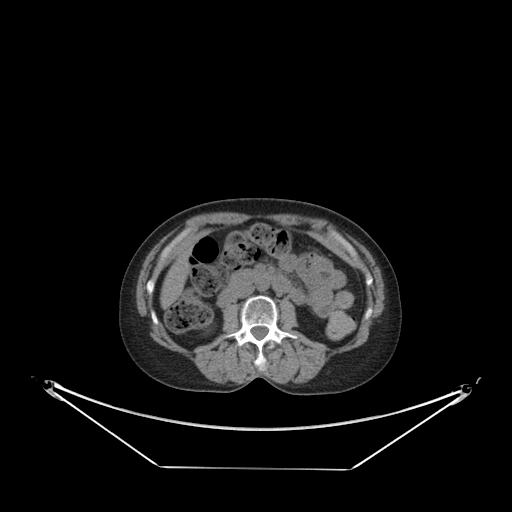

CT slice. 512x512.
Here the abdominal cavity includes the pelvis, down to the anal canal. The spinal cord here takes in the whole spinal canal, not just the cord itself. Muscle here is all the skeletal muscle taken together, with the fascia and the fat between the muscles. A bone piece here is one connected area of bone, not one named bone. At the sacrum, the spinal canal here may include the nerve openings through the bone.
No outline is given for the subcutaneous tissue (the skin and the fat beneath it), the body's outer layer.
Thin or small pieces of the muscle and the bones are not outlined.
Outlined structures:
abdominal cavity: [[251,219],[305,231],[361,272],[366,307],[349,340],[331,347],[310,339],[296,328],[294,304],[283,297],[277,305],[265,294],[247,297],[240,308],[237,303],[224,307],[222,332],[207,343],[190,349],[169,335],[154,309],[154,290],[163,269],[208,232]]
torso: [[240,196],[285,197],[329,207],[360,225],[382,248],[398,280],[402,326],[392,358],[371,380],[348,391],[321,395],[288,394],[261,378],[233,392],[194,392],[157,382],[132,361],[120,337],[117,315],[119,288],[132,255],[156,226],[178,211],[204,201]]
muscle: [[220,211],[239,212],[240,213],[245,213],[246,214],[276,214],[277,213],[291,213],[292,214],[299,214],[300,215],[304,215],[310,217],[324,218],[334,224],[340,231],[343,231],[349,234],[362,244],[370,252],[374,258],[376,264],[380,269],[383,283],[384,284],[384,295],[385,296],[384,299],[384,309],[382,313],[375,319],[372,326],[370,328],[370,331],[367,340],[363,344],[360,345],[358,347],[334,355],[323,366],[321,370],[316,375],[316,376],[312,379],[303,383],[294,383],[291,381],[289,381],[285,384],[278,383],[261,373],[257,373],[254,375],[252,375],[242,383],[239,383],[238,384],[237,383],[234,383],[231,381],[228,381],[226,383],[217,383],[207,379],[199,371],[194,363],[181,353],[170,350],[156,342],[149,334],[150,329],[146,318],[143,316],[141,316],[138,313],[137,307],[136,306],[136,285],[137,284],[138,276],[142,267],[142,264],[147,254],[160,240],[160,239],[174,228],[183,223],[187,219],[192,216],[198,214],[201,214],[202,213],[207,213],[208,212],[219,212]]; inner edges: [[251,219],[305,231],[365,278],[370,273],[373,282],[365,292],[372,312],[367,319],[362,316],[349,340],[331,347],[310,339],[296,328],[296,308],[283,297],[277,301],[277,326],[297,337],[265,345],[266,367],[260,371],[254,363],[255,345],[238,346],[234,337],[224,336],[241,327],[237,303],[223,308],[222,332],[191,349],[177,343],[159,319],[153,322],[154,292],[147,292],[148,280],[156,282],[178,253],[208,232]], then [[188,228],[189,229],[189,230],[187,232],[186,235],[184,237],[183,237],[179,241],[178,241],[171,248],[171,249],[168,252],[168,253],[162,259],[160,259],[160,253],[162,251],[162,250],[167,245],[168,245],[182,231],[183,231],[185,229],[187,229]], then [[331,231],[334,231],[336,233],[337,233],[339,235],[340,235],[342,237],[343,237],[347,241],[348,241],[355,249],[355,250],[357,253],[357,256],[356,257],[353,257],[348,252],[348,251],[341,244],[341,243],[337,239],[336,239],[336,238],[332,234]]
bones 1: [[255,295],[270,297],[278,310],[277,326],[282,331],[297,336],[284,337],[280,344],[275,343],[271,348],[265,345],[262,352],[266,367],[262,371],[254,363],[258,355],[255,345],[249,342],[238,346],[234,337],[224,336],[241,327],[242,304],[247,298]], around a hole outlined by [[257,326],[262,326],[263,327],[266,327],[267,328],[267,329],[268,330],[267,331],[267,333],[261,339],[257,339],[252,334],[252,333],[251,332],[251,329],[252,328],[253,328],[254,327],[256,327]]
bones 2: [[188,228],[189,229],[189,230],[187,232],[186,235],[184,237],[183,237],[179,241],[178,241],[171,248],[171,249],[168,252],[168,253],[162,259],[160,259],[160,253],[162,251],[162,250],[167,245],[168,245],[182,231],[183,231],[185,229],[187,229]]
bones 3: [[331,231],[334,231],[336,233],[337,233],[339,235],[340,235],[342,237],[343,237],[347,241],[348,241],[355,249],[355,250],[357,253],[357,256],[356,257],[353,257],[348,252],[348,251],[341,244],[341,243],[337,239],[336,239],[336,238],[332,234]]
spinal cord: [[257,326],[262,326],[263,327],[266,327],[267,328],[267,329],[268,330],[267,331],[267,333],[261,339],[257,339],[252,334],[252,333],[251,332],[251,329],[252,328],[253,328],[254,327],[256,327]]